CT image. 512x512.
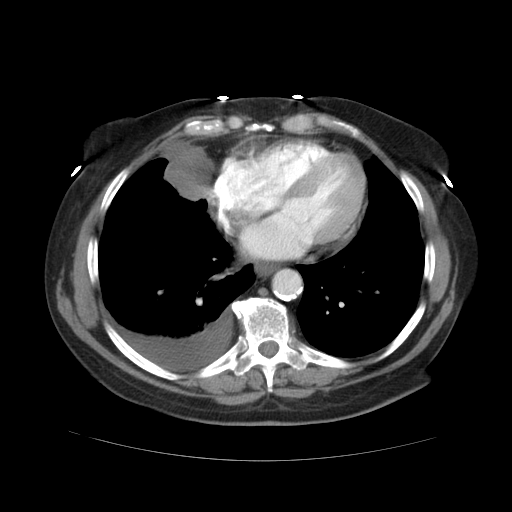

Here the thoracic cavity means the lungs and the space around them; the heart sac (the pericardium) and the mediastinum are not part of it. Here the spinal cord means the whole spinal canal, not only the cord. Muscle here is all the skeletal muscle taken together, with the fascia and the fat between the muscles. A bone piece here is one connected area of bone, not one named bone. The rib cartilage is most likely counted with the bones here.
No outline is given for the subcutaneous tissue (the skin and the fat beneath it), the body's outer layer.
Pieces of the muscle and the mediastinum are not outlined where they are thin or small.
thoracic cavity 1: 176 142; 191 143; 198 146; 213 163; 209 217; 240 261; 245 265; 251 265; 254 280; 229 305; 239 328; 239 333; 233 344; 216 359; 199 369; 175 372; 143 356; 114 327; 114 321; 102 297; 98 249; 105 215; 121 186; 141 166
thoracic cavity 2: 374 155; 399 179; 416 208; 420 234; 424 243; 422 280; 414 311; 389 343; 365 355; 339 357; 309 345; 300 333; 297 313; 304 291; 304 280; 296 265; 313 264; 329 258; 344 248; 356 235; 360 229; 369 202; 368 179; 364 163
pericardium: 274 134; 301 134; 332 141; 333 140; 349 148; 363 165; 367 179; 367 205; 359 229; 344 247; 329 257; 319 259; 315 262; 256 261; 247 258; 232 243; 233 242; 216 221; 213 207; 212 189; 228 153; 233 146; 246 138; 257 135
muscle 1: 359 129; 426 188; 448 240; 452 261; 455 261; 455 253; 458 257; 453 308; 428 345; 408 362; 389 372; 337 389; 318 390; 306 397; 269 394; 252 402; 227 405; 207 397; 172 392; 121 370; 82 341; 57 310; 55 288; 60 270; 64 265; 66 275; 71 268; 80 225; 94 200; 111 180; 99 205; 99 212; 104 215; 101 234; 99 239; 93 235; 87 242; 86 267; 90 283; 99 285; 103 304; 113 321; 113 326; 106 320; 102 321; 105 333; 115 347; 141 369; 157 377; 176 381; 184 376; 177 372; 197 370; 194 376; 200 379; 226 370; 235 376; 242 376; 258 365; 265 379; 266 391; 270 394; 277 366; 281 363; 298 371; 304 370; 309 363; 349 369; 356 363; 344 358; 365 356; 384 347; 374 360; 377 362; 386 358; 406 340; 426 310; 424 299; 418 304; 420 289; 423 280; 430 284; 433 279; 436 252; 434 243; 431 240; 425 243; 422 238; 418 213; 422 214; 425 208; 418 186; 402 169; 397 177; 362 143; 364 137
muscle 2: 307 111; 326 113; 333 115; 340 119; 334 119; 333 118; 332 119; 324 116; 317 116; 314 118; 305 113; 298 113; 295 115; 289 116; 282 120; 279 123; 278 126; 279 127; 277 127; 274 123; 265 121; 261 123; 256 121; 246 123; 241 117; 233 114; 231 115; 229 115; 225 119; 221 118; 212 118; 205 120; 193 119; 187 121; 181 129; 182 133; 186 136; 180 137; 179 139; 177 139; 166 146; 141 165; 129 176; 130 167; 125 166; 137 156; 142 149; 153 139; 167 131; 183 119; 190 116; 194 115; 218 115; 219 114; 223 115; 230 115; 231 114; 235 113; 241 113; 260 120; 263 120; 276 115; 285 115; 286 114; 291 115; 299 112; 306 112
spinal cord: 267 341; 273 341; 274 342; 275 342; 277 344; 277 345; 278 346; 278 349; 277 350; 277 351; 272 356; 271 356; 270 357; 268 357; 267 356; 265 356; 264 355; 263 355; 259 351; 259 346; 262 343; 263 343; 264 342; 266 342
mediastinum 1: 212 195; 215 221; 231 243; 247 259; 256 262; 313 263; 295 265; 303 280; 303 291; 296 313; 296 322; 304 342; 296 335; 296 329; 291 325; 288 309; 283 303; 269 296; 237 298; 252 285; 255 274; 252 265; 241 261; 210 217
mediastinum 2: 277 128; 280 128; 286 132; 294 133; 257 134; 246 137; 233 145; 220 166; 218 175; 215 182; 214 183; 213 184; 212 185; 212 188; 212 183; 213 182; 213 175; 214 174; 214 163; 208 154; 198 145; 191 142; 176 141; 180 138; 192 136; 219 136; 238 129; 243 129; 246 132; 272 132
mediastinum 3: 324 131; 331 131; 332 132; 343 134; 357 140; 363 144; 363 145; 373 154; 372 157; 366 160; 363 164; 357 155; 349 147; 343 143; 338 142; 333 139; 332 140; 324 137; 318 137; 313 135; 302 134; 310 134; 312 132; 323 132
torso: 258 95; 352 99; 425 130; 447 150; 451 169; 439 177; 472 221; 479 269; 471 297; 430 366; 434 377; 423 388; 325 423; 205 424; 114 394; 58 335; 45 300; 44 254; 59 203; 84 166; 80 145; 88 132; 116 117; 185 99
bones 1: 247 297; 269 297; 283 304; 290 325; 301 341; 355 365; 337 368; 309 362; 304 369; 298 370; 281 362; 276 366; 270 393; 258 364; 242 375; 226 369; 211 376; 196 377; 198 370; 220 357; 236 341; 243 329; 230 305; 236 299, around a hole outlined by 267 341; 273 341; 274 342; 275 342; 277 344; 277 345; 278 346; 278 349; 277 350; 277 351; 272 356; 271 356; 270 357; 268 357; 267 356; 265 356; 264 355; 263 355; 259 351; 259 346; 262 343; 263 343; 264 342; 266 342
bones 2: 232 115; 241 118; 246 124; 253 122; 259 124; 265 122; 274 124; 276 128; 272 131; 246 131; 243 128; 238 128; 231 129; 227 133; 213 136; 187 136; 183 133; 182 129; 187 122; 193 120; 225 120
bones 3: 298 114; 305 114; 314 119; 317 117; 324 117; 332 120; 333 119; 341 120; 351 124; 360 131; 363 137; 363 141; 361 142; 346 134; 332 131; 324 127; 316 125; 311 130; 310 133; 295 133; 283 130; 279 126; 280 123; 287 118
bones 4: 103 321; 108 322; 115 329; 119 335; 135 351; 143 357; 164 369; 166 369; 175 373; 181 374; 183 376; 181 378; 176 380; 169 380; 157 376; 152 373; 150 373; 148 371; 141 368; 135 364; 126 357; 112 342; 105 331; 103 325
bones 5: 422 300; 424 300; 425 301; 425 310; 420 320; 413 330; 409 334; 405 340; 394 351; 393 351; 386 357; 376 361; 375 360; 376 357; 377 357; 385 349; 386 346; 389 344; 390 342; 391 342; 392 340; 400 332; 415 311; 419 303
bones 6: 125 167; 129 167; 129 173; 128 174; 128 176; 127 177; 127 178; 120 186; 120 187; 114 195; 105 214; 103 214; 100 212; 100 205; 101 204; 102 199; 104 196; 104 194; 105 193; 109 184; 112 181; 113 178; 123 168; 124 168
bones 7: 93 236; 96 237; 98 239; 98 248; 97 249; 97 267; 98 268; 98 276; 99 277; 99 284; 95 284; 94 285; 93 285; 91 283; 90 277; 89 276; 89 273; 88 272; 88 268; 87 267; 87 248; 88 247; 88 242; 90 238
bones 8: 402 170; 406 172; 407 174; 412 179; 412 180; 417 186; 420 192; 420 194; 423 201; 423 207; 424 208; 424 210; 422 213; 418 212; 417 208; 412 198; 406 190; 405 187; 403 185; 402 182; 399 178; 399 173; 400 171
bones 9: 428 241; 431 241; 433 243; 433 245; 434 246; 434 251; 435 252; 435 265; 434 266; 434 270; 433 271; 433 276; 432 277; 432 279; 430 283; 428 283; 425 280; 423 279; 423 272; 424 271; 424 266; 425 265; 425 244